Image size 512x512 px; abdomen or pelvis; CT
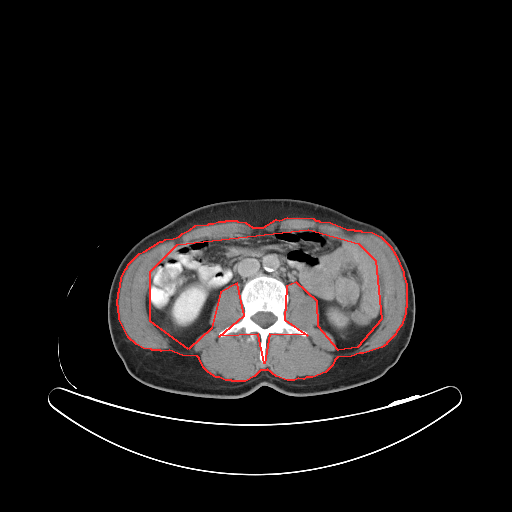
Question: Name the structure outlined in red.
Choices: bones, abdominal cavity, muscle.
Answer: red: muscle.
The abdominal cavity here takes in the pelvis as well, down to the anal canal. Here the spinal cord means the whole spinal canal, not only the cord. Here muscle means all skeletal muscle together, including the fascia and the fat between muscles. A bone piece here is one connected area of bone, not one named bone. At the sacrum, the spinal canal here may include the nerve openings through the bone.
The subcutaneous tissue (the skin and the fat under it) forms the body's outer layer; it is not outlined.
The muscle is outlined by [[287,217],[313,218],[315,220],[318,220],[319,221],[330,222],[347,229],[353,229],[354,230],[360,230],[361,231],[372,232],[380,236],[390,246],[395,254],[403,272],[403,275],[406,284],[406,307],[405,308],[405,313],[401,325],[396,331],[395,334],[386,343],[386,344],[381,347],[363,353],[359,353],[351,356],[337,357],[334,360],[332,365],[325,372],[312,377],[306,377],[303,379],[298,378],[294,380],[287,380],[276,376],[267,369],[266,370],[260,370],[254,376],[245,381],[232,381],[231,380],[225,380],[219,377],[216,377],[208,372],[203,367],[199,358],[197,356],[182,355],[169,350],[161,351],[160,350],[152,350],[151,349],[143,348],[136,344],[128,337],[119,319],[118,306],[117,305],[118,292],[119,291],[121,278],[125,269],[127,267],[128,264],[139,253],[144,251],[160,241],[162,241],[165,239],[173,238],[179,236],[182,233],[190,229],[195,225],[208,224],[209,223],[213,223],[218,221],[225,221],[226,220],[236,220],[237,221],[245,222],[252,227],[263,227],[276,219],[279,220]], around a hole outlined by [[308,229],[358,243],[375,260],[381,319],[357,347],[338,350],[318,326],[317,301],[296,282],[286,286],[284,319],[307,335],[269,334],[264,363],[258,334],[219,336],[244,315],[237,283],[220,292],[211,328],[188,349],[150,321],[150,271],[177,244]]. The torso is outlined by [[244,198],[295,198],[317,202],[370,222],[392,238],[412,278],[415,321],[406,348],[382,376],[356,387],[321,395],[286,395],[264,385],[244,397],[217,399],[156,389],[138,381],[126,370],[113,346],[107,322],[109,288],[121,259],[146,234],[189,210]]. The bones are outlined by [[260,274],[283,282],[288,292],[284,319],[307,333],[306,336],[298,333],[269,334],[264,363],[259,358],[261,339],[258,334],[255,333],[251,341],[246,340],[248,335],[243,329],[219,336],[224,328],[242,319],[245,311],[240,295],[242,288],[248,280]] with a hole at [[258,312],[269,312],[270,313],[271,313],[272,314],[273,314],[276,317],[276,319],[275,320],[275,321],[273,323],[272,323],[270,325],[269,325],[267,327],[262,327],[261,326],[260,326],[257,323],[256,323],[252,319],[252,316]]. The spinal cord is outlined by [[258,312],[269,312],[270,313],[271,313],[272,314],[273,314],[276,317],[276,319],[275,320],[275,321],[273,323],[272,323],[270,325],[269,325],[267,327],[262,327],[261,326],[260,326],[257,323],[256,323],[252,319],[252,316]]. The abdominal cavity is outlined by [[308,229],[358,243],[375,260],[381,319],[357,347],[338,350],[334,336],[318,326],[315,298],[296,282],[286,286],[263,273],[241,290],[237,283],[223,288],[210,312],[211,328],[188,349],[172,345],[150,321],[145,307],[150,271],[177,244],[239,231]].